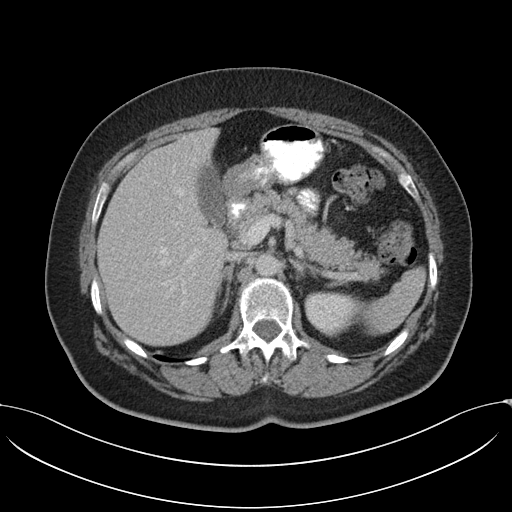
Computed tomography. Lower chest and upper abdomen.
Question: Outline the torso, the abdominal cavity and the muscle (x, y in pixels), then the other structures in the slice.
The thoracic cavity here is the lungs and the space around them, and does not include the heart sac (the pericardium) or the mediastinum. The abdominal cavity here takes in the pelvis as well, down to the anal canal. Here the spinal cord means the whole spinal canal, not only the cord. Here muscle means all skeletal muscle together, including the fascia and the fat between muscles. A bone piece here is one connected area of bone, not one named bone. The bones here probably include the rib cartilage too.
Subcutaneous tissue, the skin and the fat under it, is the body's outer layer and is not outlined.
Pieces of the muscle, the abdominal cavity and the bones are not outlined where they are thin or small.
Answer: {"torso":[[[244,66],[318,72],[383,97],[424,129],[456,179],[471,222],[471,301],[445,369],[420,393],[317,427],[266,423],[246,431],[221,432],[159,423],[118,411],[94,396],[74,371],[48,315],[44,271],[55,203],[78,148],[105,116],[148,89],[197,72]]],"abdominal_cavity":[[[247,111],[309,124],[360,145],[397,176],[418,206],[428,246],[429,283],[407,327],[385,348],[359,356],[331,352],[305,332],[290,289],[273,277],[256,277],[241,290],[227,332],[195,357],[153,355],[108,318],[95,249],[97,224],[113,184],[151,149]]],"muscle":[{"outer":[[251,106],[295,107],[301,109],[306,109],[309,111],[315,111],[347,120],[359,126],[364,127],[381,136],[392,143],[398,149],[401,150],[407,157],[407,159],[411,163],[414,170],[428,189],[436,207],[440,223],[439,232],[443,243],[444,257],[443,262],[440,267],[441,269],[439,283],[440,292],[438,296],[436,307],[435,316],[436,325],[434,328],[434,331],[429,338],[422,342],[418,348],[413,353],[410,354],[402,364],[398,365],[394,370],[385,374],[377,381],[360,391],[343,396],[331,395],[324,397],[304,398],[299,396],[289,395],[273,386],[263,385],[241,395],[227,396],[223,398],[214,398],[212,401],[184,400],[173,397],[156,389],[145,380],[130,373],[123,367],[116,364],[106,356],[101,354],[95,346],[93,338],[93,324],[92,323],[94,313],[88,298],[82,294],[80,291],[80,273],[81,272],[79,267],[78,246],[79,245],[79,234],[82,224],[85,219],[85,214],[90,197],[90,192],[98,172],[102,166],[120,148],[138,136],[142,135],[158,126],[207,110],[225,107],[242,108]],"holes":[[[247,111],[309,124],[360,145],[397,176],[399,166],[411,176],[419,193],[415,203],[423,218],[428,251],[435,259],[437,282],[433,289],[428,284],[421,305],[407,325],[405,340],[387,355],[383,355],[384,348],[369,355],[350,356],[342,363],[328,361],[325,355],[330,350],[305,332],[297,305],[292,327],[310,347],[299,346],[295,360],[280,348],[267,363],[257,347],[244,357],[237,348],[222,353],[220,348],[243,327],[235,306],[227,332],[203,353],[206,362],[189,365],[183,360],[158,359],[149,351],[146,358],[136,354],[125,345],[126,336],[104,308],[101,314],[95,311],[90,287],[97,277],[97,225],[92,224],[91,216],[101,183],[106,181],[111,188],[151,149]],[[131,152],[135,152],[135,155],[129,161],[128,161],[121,168],[120,168],[119,169],[117,169],[116,170],[115,170],[114,171],[113,170],[113,169],[114,168],[114,167],[127,154],[128,154],[129,153],[130,153]],[[377,148],[380,148],[381,149],[382,149],[383,150],[384,150],[386,152],[387,152],[388,153],[388,154],[389,155],[389,158],[388,159],[387,158],[386,158],[385,157],[384,157],[383,156],[382,156],[379,153],[379,152],[377,150]],[[266,373],[267,373],[268,374],[268,375],[268,376],[268,377],[268,378],[268,379],[267,380],[267,381],[266,382],[265,383],[264,382],[263,382],[262,382],[261,381],[261,380],[261,379],[262,378],[262,377],[263,376],[264,375],[265,374]]]}],"thoracic_cavity":[[[155,355],[159,355],[160,356],[163,356],[164,357],[165,357],[166,358],[169,358],[170,359],[173,359],[174,360],[184,360],[161,360],[160,359],[158,359],[157,358],[156,358],[154,356]]],"bones":[{"outer":[[256,278],[273,278],[289,289],[293,300],[292,327],[300,339],[310,344],[309,348],[299,346],[293,361],[284,355],[280,348],[274,350],[267,363],[257,347],[252,348],[244,357],[237,348],[220,352],[220,348],[230,343],[243,327],[239,298],[242,290]],"hole":[[261,320],[272,320],[273,321],[274,321],[280,327],[280,331],[279,332],[279,333],[276,336],[275,336],[271,340],[270,340],[269,341],[266,341],[263,338],[262,338],[260,336],[259,336],[253,330],[253,327],[254,326],[254,325],[258,321],[260,321]]},[[103,181],[106,181],[110,185],[110,190],[107,194],[107,197],[103,204],[103,206],[102,207],[100,215],[98,218],[97,223],[95,225],[93,225],[91,222],[92,210],[93,209],[93,206],[95,202],[95,199],[97,195],[98,189],[101,183]],[[399,166],[401,166],[403,167],[405,171],[411,176],[411,178],[416,188],[418,190],[418,192],[419,193],[419,198],[418,199],[416,200],[414,199],[412,197],[412,196],[410,195],[409,193],[408,193],[408,192],[399,182],[398,180],[398,174],[399,173]],[[94,277],[95,277],[97,280],[97,283],[98,284],[98,287],[99,288],[99,298],[100,299],[100,303],[101,304],[101,308],[102,309],[102,313],[101,314],[98,314],[95,311],[92,305],[92,302],[91,301],[90,287],[91,286],[92,280]],[[406,328],[407,328],[408,329],[408,334],[407,335],[405,340],[402,343],[402,344],[395,350],[394,350],[392,352],[389,353],[387,355],[383,355],[383,353],[384,352],[385,349],[392,341],[392,340],[400,332],[401,332],[404,329],[405,329]],[[429,252],[431,252],[433,254],[433,255],[434,256],[434,258],[435,259],[436,266],[437,267],[437,282],[436,283],[436,285],[435,286],[435,287],[433,289],[432,289],[430,287],[430,282],[429,281],[429,260],[428,259],[428,254],[429,253]],[[125,337],[127,338],[129,338],[131,340],[137,343],[145,351],[145,352],[147,354],[147,357],[145,358],[140,355],[138,355],[136,354],[134,352],[130,350],[125,345],[123,341],[123,339]],[[330,353],[333,353],[334,354],[338,354],[339,355],[342,355],[343,356],[347,356],[349,357],[349,361],[347,361],[346,362],[343,362],[342,363],[333,363],[332,362],[330,362],[328,361],[328,360],[325,357],[325,355],[326,354],[329,354]],[[131,152],[135,152],[135,155],[129,161],[128,161],[121,168],[120,168],[119,169],[117,169],[116,170],[115,170],[114,171],[113,170],[113,169],[114,168],[114,167],[127,154],[128,154],[129,153],[130,153]]],"spinal_cord":[[[261,320],[272,320],[273,321],[274,321],[280,327],[280,331],[279,332],[279,333],[276,336],[275,336],[271,340],[270,340],[269,341],[266,341],[263,338],[262,338],[260,336],[259,336],[253,330],[253,327],[254,326],[254,325],[258,321],[260,321]]]}